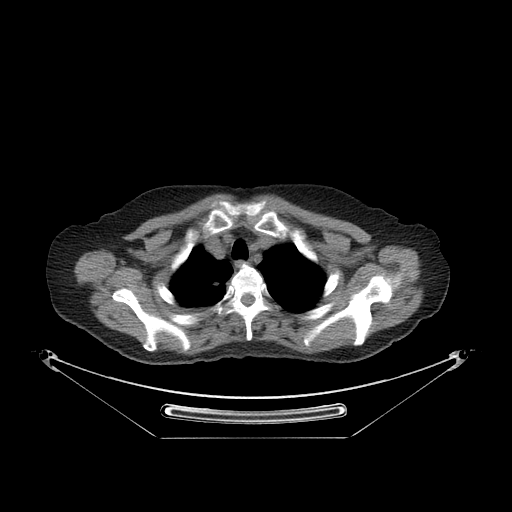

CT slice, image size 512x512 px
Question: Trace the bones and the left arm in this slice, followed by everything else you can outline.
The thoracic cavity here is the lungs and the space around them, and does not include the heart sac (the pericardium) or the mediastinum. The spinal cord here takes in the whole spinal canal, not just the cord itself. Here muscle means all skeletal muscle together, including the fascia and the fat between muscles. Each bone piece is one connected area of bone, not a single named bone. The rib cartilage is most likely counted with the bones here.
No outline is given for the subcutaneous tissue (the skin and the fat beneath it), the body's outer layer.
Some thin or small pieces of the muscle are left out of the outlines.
Answer: {"bones":[{"outer":[[243,263],[261,274],[279,305],[253,318],[249,341],[238,313],[207,311],[180,326],[190,341],[187,350],[176,336],[158,331],[156,350],[149,351],[142,346],[144,324],[112,298],[115,290],[127,288],[144,311],[166,320],[172,313],[202,312],[223,297]],"hole":[[244,294],[250,294],[252,296],[253,296],[253,297],[254,298],[254,300],[253,301],[253,302],[251,304],[250,304],[249,305],[245,305],[241,301],[241,298],[242,297],[242,296]]},[[220,200],[233,204],[265,200],[263,210],[275,211],[278,218],[290,230],[298,229],[315,252],[317,263],[305,257],[288,236],[281,240],[255,230],[253,227],[257,218],[255,216],[245,214],[235,216],[231,228],[205,237],[203,224],[210,210],[217,207]],[[378,274],[385,276],[398,275],[400,284],[393,290],[389,301],[371,304],[371,324],[362,344],[353,345],[355,325],[349,317],[343,317],[331,323],[308,346],[304,344],[304,336],[309,330],[331,314],[345,308],[349,303],[351,295],[362,289],[372,276]],[[189,228],[192,228],[196,230],[198,232],[198,237],[195,241],[195,244],[188,255],[188,257],[186,260],[182,264],[181,264],[174,272],[173,272],[171,269],[171,263],[172,262],[172,260],[174,256],[185,244],[186,242],[185,241],[185,235],[187,230]],[[330,302],[333,302],[334,303],[334,304],[331,308],[331,309],[323,316],[322,316],[319,318],[316,318],[315,319],[303,319],[301,317],[302,314],[304,312],[305,312],[310,309],[312,309],[317,306],[319,306],[320,305],[323,305],[326,303],[329,303]],[[336,270],[338,270],[340,274],[339,276],[339,278],[338,279],[338,282],[337,283],[337,285],[335,287],[335,288],[328,295],[323,297],[322,296],[322,294],[323,293],[323,288],[326,282],[327,277],[330,273],[332,272],[334,272]],[[158,283],[163,283],[169,289],[169,290],[173,294],[173,295],[174,296],[174,298],[175,299],[175,303],[174,304],[170,304],[169,303],[168,303],[167,302],[166,302],[159,295],[159,294],[157,291],[157,288],[156,287],[156,286]]],"left_arm":[[[414,222],[421,223],[430,228],[432,228],[436,232],[439,237],[440,250],[447,260],[450,267],[450,281],[447,294],[440,309],[430,317],[428,317],[424,311],[420,298],[417,294],[417,289],[410,261],[410,255],[406,248],[403,236],[404,223],[413,223]]],"torso":[[[291,182],[336,187],[371,206],[384,209],[403,223],[402,236],[416,294],[428,318],[387,348],[349,363],[249,356],[192,364],[152,365],[121,355],[62,319],[77,295],[84,275],[88,223],[102,214],[117,209],[148,189],[163,185],[201,183],[246,187]]],"spinal_cord":[[[244,294],[250,294],[252,296],[253,296],[253,297],[254,298],[254,300],[253,301],[253,302],[251,304],[250,304],[249,305],[245,305],[241,301],[241,298],[242,297],[242,296]]],"right_arm":[[[75,223],[80,223],[81,224],[87,223],[86,234],[85,235],[85,259],[84,260],[83,275],[76,295],[66,312],[62,318],[61,318],[53,309],[50,301],[49,292],[45,277],[46,260],[47,259],[48,249],[53,238],[62,229],[71,224],[74,224]]],"thoracic_cavity":[[[288,242],[292,243],[296,249],[305,258],[317,264],[326,276],[326,279],[322,288],[321,296],[317,300],[315,304],[316,305],[303,312],[290,311],[285,309],[274,301],[262,274],[257,269],[257,267],[263,259],[263,253],[266,250],[274,246],[281,245]],[[197,244],[201,244],[204,249],[215,259],[227,260],[232,267],[233,273],[226,282],[225,292],[220,299],[212,305],[207,307],[205,310],[190,312],[177,307],[175,304],[176,303],[175,296],[170,290],[169,285],[174,273],[187,260],[193,248]]],"muscle":[[[214,193],[239,199],[272,193],[349,221],[376,240],[414,249],[424,278],[420,306],[405,321],[366,339],[372,304],[389,302],[401,284],[398,274],[378,273],[303,336],[308,347],[325,328],[349,318],[352,345],[302,353],[252,340],[252,322],[263,311],[280,306],[302,313],[303,320],[323,317],[335,303],[316,304],[336,288],[341,274],[336,269],[327,276],[301,231],[290,229],[275,210],[264,210],[265,199],[220,199],[202,224],[205,238],[196,244],[199,232],[189,227],[171,260],[168,287],[155,286],[166,303],[189,312],[172,312],[169,319],[149,313],[124,286],[111,298],[132,310],[145,338],[141,344],[105,326],[76,284],[78,258],[102,248],[125,258],[122,236]],[[207,312],[215,313],[219,316],[226,316],[231,313],[238,314],[244,322],[246,341],[225,343],[192,355],[174,351],[157,350],[156,334],[158,332],[165,332],[176,337],[180,342],[182,350],[187,351],[191,347],[191,341],[181,326],[193,325],[199,322]],[[240,215],[245,215],[248,217],[252,217],[253,218],[255,217],[256,218],[255,219],[255,221],[252,225],[253,229],[257,232],[265,234],[258,233],[243,225],[241,225],[240,226],[232,228],[234,225],[234,218]]],"mediastinum":[[[241,226],[258,234],[268,235],[274,238],[277,238],[281,241],[285,240],[287,242],[277,244],[266,249],[262,253],[262,259],[256,268],[246,262],[243,262],[239,266],[238,269],[234,272],[231,263],[227,259],[215,258],[200,243],[204,239],[212,235]]]}